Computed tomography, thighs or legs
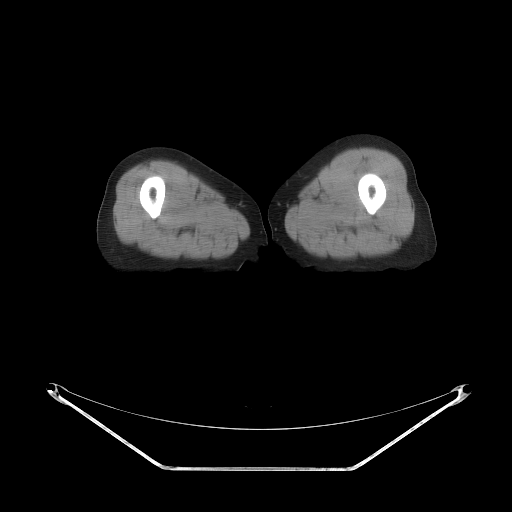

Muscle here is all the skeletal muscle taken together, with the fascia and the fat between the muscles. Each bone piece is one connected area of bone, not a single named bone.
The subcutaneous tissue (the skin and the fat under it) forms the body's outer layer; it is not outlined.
Outlined structures:
muscle 1: [[361,146],[369,146],[387,150],[394,154],[402,162],[404,167],[406,168],[415,206],[415,229],[412,239],[402,249],[386,258],[363,260],[362,261],[328,261],[314,257],[307,253],[287,235],[284,227],[285,213],[298,191],[322,166],[339,152],[347,148]]; inner edge: [[368,172],[375,173],[377,175],[378,175],[382,179],[386,188],[386,198],[383,204],[374,214],[369,214],[367,212],[366,209],[362,204],[359,198],[359,196],[358,195],[358,191],[357,190],[357,184],[358,183],[358,180],[363,174],[367,173]]
muscle 2: [[156,158],[162,158],[180,162],[224,194],[244,213],[248,219],[250,227],[250,234],[246,242],[238,251],[231,256],[222,260],[201,261],[185,259],[163,259],[129,249],[118,241],[113,227],[113,218],[111,210],[114,187],[120,176],[126,170],[139,162]]; inner edge: [[152,175],[159,175],[161,177],[162,177],[165,183],[165,197],[164,198],[164,201],[162,205],[162,208],[161,209],[160,214],[156,218],[152,218],[150,217],[150,216],[141,206],[140,202],[139,201],[139,190],[140,189],[141,184],[147,177],[151,176]]
bones 1: [[368,172],[375,173],[377,175],[378,175],[382,179],[386,188],[386,198],[383,204],[374,214],[369,214],[367,212],[366,209],[362,204],[359,198],[359,196],[358,195],[358,191],[357,190],[357,184],[358,183],[358,180],[363,174],[367,173]]
bones 2: [[152,175],[159,175],[161,177],[162,177],[165,183],[165,197],[164,198],[164,201],[162,205],[162,208],[161,209],[160,214],[156,218],[152,218],[150,217],[150,216],[141,206],[140,202],[139,201],[139,190],[140,189],[141,184],[147,177],[151,176]]
left leg: [[356,132],[376,133],[391,139],[403,148],[413,163],[418,186],[430,208],[437,241],[436,252],[433,259],[416,269],[407,272],[389,269],[381,273],[318,273],[309,268],[298,267],[273,242],[267,218],[267,210],[270,199],[275,190],[322,146],[340,136]]
right leg: [[149,146],[169,146],[183,150],[236,182],[255,199],[259,206],[267,235],[267,248],[260,253],[259,264],[251,266],[245,263],[238,271],[233,273],[175,271],[163,274],[119,274],[112,271],[106,265],[96,243],[96,220],[108,176],[114,166],[126,155]]